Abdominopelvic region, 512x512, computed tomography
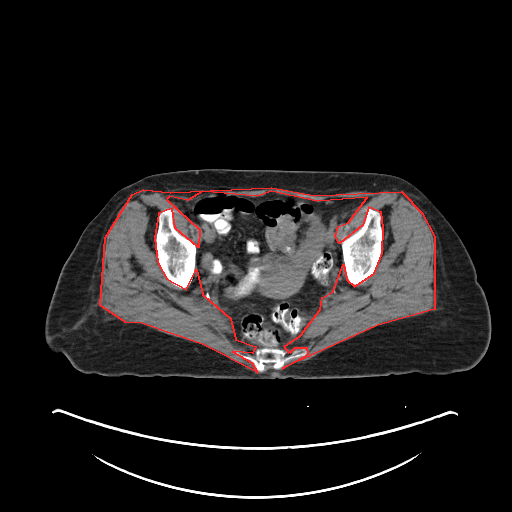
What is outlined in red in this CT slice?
red: muscle.
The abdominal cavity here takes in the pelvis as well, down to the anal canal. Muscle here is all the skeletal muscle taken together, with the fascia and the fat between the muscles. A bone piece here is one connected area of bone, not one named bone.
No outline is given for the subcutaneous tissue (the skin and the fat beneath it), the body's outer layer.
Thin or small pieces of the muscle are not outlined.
muscle: (271, 187) (314, 195) (401, 191) (421, 212) (434, 236) (434, 309) (377, 325) (282, 368) (308, 353) (307, 348) (294, 348) (289, 353) (284, 346) (300, 335) (320, 309) (322, 297) (333, 291) (343, 264) (346, 279) (354, 286) (374, 273) (382, 253) (383, 227) (381, 212) (368, 207) (362, 225) (339, 243) (335, 236) (338, 226) (348, 222) (367, 197) (317, 201) (271, 191) (257, 196) (202, 191) (187, 200) (169, 196) (166, 199) (199, 229) (198, 247) (175, 228) (172, 208) (158, 213) (154, 237) (157, 262) (166, 278) (186, 289) (196, 269) (202, 294) (230, 318) (235, 339) (255, 346) (252, 353) (232, 351) (251, 362) (257, 372) (202, 344) (141, 323) (125, 322) (100, 305) (105, 237) (132, 194) (143, 189) (170, 192)
torso: (207, 168) (374, 172) (395, 175) (413, 184) (452, 225) (473, 261) (491, 317) (491, 337) (483, 357) (468, 370) (448, 374) (411, 372) (320, 379) (106, 376) (84, 373) (74, 368) (62, 353) (49, 349) (44, 337) (44, 323) (61, 268) (82, 231) (121, 188) (156, 173)
abdominal cavity: (202, 192) (250, 197) (271, 192) (317, 202) (335, 198) (367, 198) (348, 221) (340, 223) (335, 230) (343, 263) (332, 291) (321, 297) (314, 316) (299, 335) (283, 347) (256, 347) (237, 340) (231, 318) (203, 294) (196, 268) (201, 231) (167, 199) (174, 197) (187, 201)
bones 1: (166, 209) (172, 209) (173, 210) (172, 223) (174, 228) (182, 236) (191, 240) (195, 244) (196, 247) (196, 253) (195, 254) (196, 263) (194, 274) (190, 284) (186, 288) (180, 288) (174, 285) (164, 274) (158, 262) (155, 243) (155, 237) (158, 227) (158, 215) (160, 212)
bones 2: (368, 208) (376, 210) (380, 212) (381, 214) (381, 226) (382, 227) (381, 253) (379, 261) (373, 273) (362, 283) (358, 285) (354, 285) (351, 284) (347, 279) (345, 266) (342, 257) (341, 242) (344, 237) (348, 237) (352, 235) (363, 225) (366, 217) (366, 209)
bones 3: (258, 347) (279, 347) (285, 349) (289, 354) (294, 349) (307, 349) (307, 353) (303, 356) (287, 361) (280, 369) (274, 369) (271, 363) (267, 363) (265, 365) (265, 369) (262, 372) (258, 372) (255, 370) (251, 361) (239, 357) (233, 351) (240, 350) (242, 352) (252, 354)